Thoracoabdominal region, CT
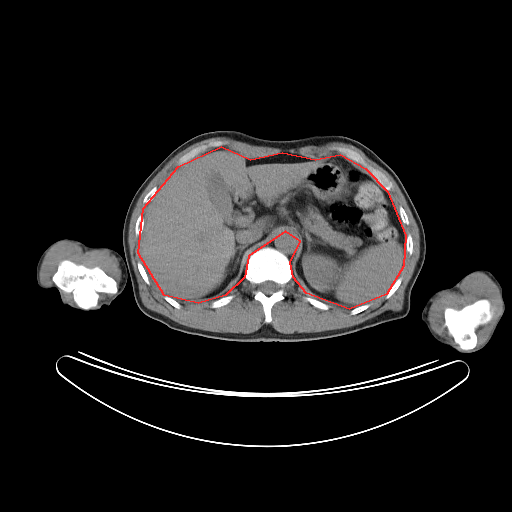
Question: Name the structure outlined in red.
Answer: red: abdominal cavity.
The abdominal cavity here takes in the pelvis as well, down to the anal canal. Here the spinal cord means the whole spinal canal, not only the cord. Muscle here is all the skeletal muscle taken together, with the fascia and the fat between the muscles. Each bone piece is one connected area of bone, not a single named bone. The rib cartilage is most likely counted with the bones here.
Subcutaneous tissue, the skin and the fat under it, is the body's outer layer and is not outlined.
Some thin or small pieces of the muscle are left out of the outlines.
{"abdominal_cavity":[[[221,146],[250,159],[282,152],[315,159],[340,154],[365,168],[387,191],[405,235],[403,266],[386,294],[349,309],[306,293],[293,277],[290,262],[300,241],[285,231],[248,256],[244,277],[225,295],[198,303],[164,295],[138,253],[143,208],[178,166]]],"bones":[{"outer":[[264,246],[269,246],[282,252],[288,258],[291,265],[291,271],[292,272],[291,279],[283,287],[284,298],[277,301],[271,308],[271,321],[269,323],[266,323],[264,320],[265,315],[262,304],[254,298],[253,286],[244,276],[246,263],[249,256],[255,250]],"hole":[[265,281],[272,281],[273,282],[276,283],[278,285],[279,285],[279,288],[277,290],[274,291],[271,294],[270,294],[269,295],[267,295],[266,294],[265,294],[263,292],[262,292],[258,288],[258,285],[259,284],[260,284],[261,283],[262,283]]},[[64,259],[81,264],[88,268],[98,266],[107,275],[115,280],[117,284],[117,291],[113,294],[99,292],[97,305],[93,308],[84,309],[77,306],[73,299],[73,294],[71,292],[65,292],[59,289],[52,280],[52,276],[57,270],[59,263]],[[482,298],[485,298],[490,302],[491,308],[493,310],[492,318],[487,323],[482,324],[477,328],[476,330],[477,343],[475,347],[467,350],[461,349],[459,348],[453,337],[448,333],[448,330],[444,324],[445,321],[444,310],[446,307],[460,309],[465,305]],[[338,147],[349,148],[360,154],[372,166],[379,170],[387,177],[392,183],[392,188],[388,191],[384,189],[384,188],[382,187],[377,181],[376,181],[365,167],[356,161],[354,161],[351,159],[348,159],[345,156],[338,152],[336,149],[336,148]],[[210,141],[223,141],[225,142],[225,143],[223,145],[221,145],[217,147],[212,147],[211,148],[209,148],[205,151],[195,155],[185,163],[181,165],[178,165],[177,162],[179,158],[181,156],[187,153],[193,148],[195,148],[200,145],[207,144]],[[230,294],[232,294],[233,295],[234,295],[234,297],[227,304],[226,304],[225,305],[223,305],[222,306],[220,306],[219,307],[217,307],[216,308],[213,308],[210,306],[211,303],[214,300],[216,300],[221,297],[223,297],[226,295],[229,295]],[[305,296],[307,296],[308,297],[311,297],[312,298],[314,298],[320,302],[322,302],[323,303],[325,303],[326,304],[327,304],[329,306],[329,308],[328,309],[320,309],[317,307],[315,307],[313,305],[312,305],[309,302],[306,301],[303,298]],[[155,186],[156,186],[157,187],[157,190],[156,191],[156,193],[155,194],[155,196],[154,197],[153,200],[150,203],[149,203],[148,204],[146,204],[145,203],[144,203],[143,202],[143,199],[144,198],[145,195],[153,187],[154,187]],[[141,214],[143,216],[143,228],[142,229],[142,231],[141,232],[141,233],[140,233],[137,236],[136,236],[135,235],[135,223],[136,222],[136,220],[137,219],[137,218],[138,217],[138,216],[139,215],[140,215]],[[139,261],[140,261],[141,262],[141,263],[142,264],[142,265],[143,266],[143,267],[148,276],[148,278],[150,281],[150,284],[147,284],[144,281],[143,278],[141,276],[141,275],[139,272],[139,270],[138,269],[138,267],[137,266],[137,263]],[[399,277],[401,277],[402,278],[402,279],[401,280],[401,282],[400,283],[398,288],[390,297],[389,297],[388,298],[386,298],[385,297],[386,296],[388,291],[390,289],[390,288],[392,286],[392,285],[396,281],[396,280]],[[408,234],[410,234],[411,235],[411,237],[412,238],[412,241],[413,242],[413,251],[412,252],[412,254],[411,254],[410,255],[406,251],[406,237],[407,236],[407,235]],[[400,206],[401,206],[404,209],[404,210],[405,211],[405,212],[407,215],[407,217],[408,218],[408,220],[409,221],[409,223],[408,224],[404,224],[402,222],[402,221],[400,218],[400,216],[399,215],[399,213],[398,212],[398,208]],[[365,304],[370,304],[370,305],[366,309],[365,309],[364,310],[363,310],[362,311],[361,311],[360,312],[359,312],[356,314],[351,314],[350,313],[350,311],[352,309],[353,309],[354,308],[355,308],[358,306],[361,306],[362,305],[364,305]],[[164,296],[168,296],[169,297],[170,297],[171,298],[172,298],[173,299],[174,299],[175,300],[176,300],[181,305],[181,307],[180,308],[176,308],[175,307],[174,307],[170,303],[169,303],[164,298]]],"spinal_cord":[[[265,281],[272,281],[273,282],[276,283],[278,285],[279,285],[279,288],[277,290],[274,291],[271,294],[270,294],[269,295],[267,295],[266,294],[265,294],[263,292],[262,292],[258,288],[258,285],[259,284],[260,284],[261,283],[262,283]]],"torso":[[[216,130],[235,130],[271,140],[335,134],[357,140],[375,152],[401,180],[425,233],[425,259],[411,291],[407,315],[350,334],[299,342],[238,342],[208,338],[171,329],[145,315],[135,302],[124,259],[122,230],[128,206],[142,182],[170,152],[196,135]]],"right_arm":[[[63,238],[72,238],[88,246],[108,247],[118,252],[123,258],[128,271],[128,277],[126,284],[122,292],[109,305],[103,305],[95,311],[83,311],[80,309],[75,309],[62,302],[57,289],[53,287],[43,288],[37,283],[36,266],[41,254],[50,244]]],"muscle":[{"outer":[[213,137],[226,137],[237,141],[245,142],[251,145],[273,147],[274,148],[280,148],[281,149],[299,148],[300,147],[308,146],[309,145],[320,146],[331,142],[342,142],[343,143],[347,143],[353,145],[355,147],[360,149],[370,159],[383,168],[392,177],[400,189],[415,220],[419,232],[419,257],[416,262],[412,275],[408,281],[407,285],[404,290],[404,297],[403,298],[402,308],[398,311],[386,310],[369,319],[367,319],[358,324],[349,327],[344,327],[343,328],[332,329],[331,330],[325,330],[324,331],[319,331],[318,332],[294,332],[293,333],[282,333],[274,329],[270,324],[264,324],[257,330],[250,333],[233,333],[232,332],[216,332],[215,331],[208,331],[207,330],[203,330],[202,329],[189,327],[180,324],[172,320],[170,318],[160,313],[153,311],[146,307],[142,302],[142,300],[140,297],[137,279],[134,273],[133,267],[131,263],[130,250],[128,244],[128,230],[129,229],[129,224],[130,223],[130,219],[132,215],[132,212],[140,195],[147,185],[175,155],[194,143],[196,143],[205,139],[212,138]],"hole":[[210,141],[223,141],[224,146],[250,159],[282,152],[315,159],[339,154],[338,147],[349,148],[360,154],[392,183],[387,193],[397,209],[400,206],[404,209],[409,221],[402,225],[405,236],[411,235],[413,251],[410,255],[405,253],[399,275],[402,279],[394,293],[351,314],[348,308],[330,304],[328,309],[315,307],[303,298],[312,296],[292,277],[283,287],[284,298],[272,306],[269,323],[264,320],[262,304],[254,298],[253,286],[244,277],[239,285],[226,294],[234,297],[225,305],[213,308],[210,306],[212,299],[181,303],[180,308],[169,303],[164,294],[151,281],[147,284],[139,272],[137,263],[141,260],[135,223],[138,216],[143,214],[145,195],[178,167],[181,156]]},[[479,272],[487,275],[497,286],[502,308],[485,341],[476,346],[478,328],[487,324],[493,318],[494,310],[491,302],[482,297],[460,308],[446,306],[443,310],[443,324],[457,347],[432,330],[428,313],[434,298],[438,294],[446,291],[457,291],[465,279]],[[63,241],[76,243],[84,251],[104,250],[113,255],[117,259],[121,270],[121,278],[118,287],[116,280],[98,265],[88,267],[67,258],[62,259],[58,263],[56,270],[51,276],[51,280],[54,284],[44,284],[41,281],[39,274],[43,259],[54,245]],[[62,291],[65,293],[71,293],[72,294],[72,299],[73,300],[73,301],[74,302],[74,303],[75,304],[75,305],[74,304],[72,304],[71,303],[69,303],[66,300],[66,299],[65,298],[65,297],[64,296],[64,295],[63,294],[63,293],[62,292]],[[99,293],[106,293],[107,294],[111,294],[111,295],[110,296],[108,296],[105,299],[104,299],[103,300],[101,300],[98,303],[98,301],[99,300]]],"left_arm":[[[478,269],[489,270],[498,280],[503,290],[502,296],[505,304],[505,309],[491,338],[485,346],[481,349],[471,353],[462,353],[448,345],[440,343],[434,339],[428,331],[426,326],[422,322],[421,313],[427,300],[434,292],[443,288],[453,286],[465,275]]],"mediastinum":[[[285,232],[290,232],[294,234],[297,237],[299,241],[299,246],[298,247],[298,249],[295,253],[294,256],[290,259],[289,259],[289,258],[282,251],[281,251],[279,249],[275,247],[270,246],[270,244],[274,240],[275,240],[276,238],[278,237],[278,236]]]}